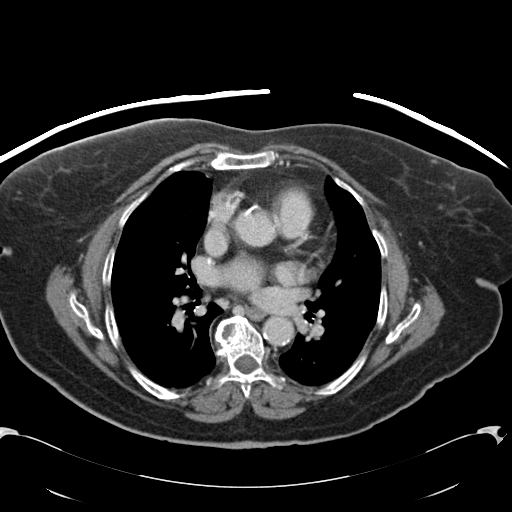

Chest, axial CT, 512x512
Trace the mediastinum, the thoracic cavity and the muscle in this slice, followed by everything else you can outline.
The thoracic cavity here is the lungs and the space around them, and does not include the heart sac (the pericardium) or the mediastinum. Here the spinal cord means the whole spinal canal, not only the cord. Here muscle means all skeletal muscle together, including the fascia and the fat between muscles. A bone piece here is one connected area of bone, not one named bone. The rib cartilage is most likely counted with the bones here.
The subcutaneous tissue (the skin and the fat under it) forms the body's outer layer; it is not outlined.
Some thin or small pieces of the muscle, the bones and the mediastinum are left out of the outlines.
{"mediastinum":[[[316,282],[315,291],[297,315],[299,331],[291,347],[278,357],[277,369],[270,361],[262,334],[242,315],[226,317],[217,323],[213,339],[219,346],[213,351],[210,327],[223,310],[213,301],[206,301],[200,288],[241,305],[286,314],[310,293]],[[290,162],[310,164],[329,175],[325,179],[324,194],[330,208],[320,189],[308,181],[288,173],[271,169],[243,171],[225,182],[211,197],[211,179],[199,170],[188,169],[210,166],[215,170],[248,170],[266,168],[273,164],[281,166],[286,164],[287,166]]],"thoracic_cavity":[[[182,170],[199,171],[211,181],[206,223],[196,242],[192,271],[203,299],[206,302],[213,302],[222,311],[209,327],[210,347],[216,357],[214,369],[191,386],[170,389],[147,377],[137,368],[128,354],[115,317],[111,283],[116,249],[129,217],[164,179]],[[328,176],[340,188],[350,193],[363,210],[379,251],[380,290],[375,323],[356,358],[340,375],[317,386],[302,384],[278,369],[279,357],[292,347],[300,331],[298,315],[305,307],[305,301],[316,291],[320,276],[336,250],[338,229],[334,212],[325,194]]],"muscle":[{"outer":[[210,141],[245,152],[216,150],[205,166],[188,168],[195,164],[193,158],[170,165],[150,193],[145,190],[124,208],[117,222],[122,229],[117,246],[110,246],[104,257],[101,283],[110,286],[112,302],[104,306],[106,333],[115,349],[121,340],[135,365],[127,369],[144,390],[159,400],[179,399],[185,394],[173,389],[195,385],[215,369],[217,358],[223,358],[227,371],[214,380],[215,386],[237,382],[248,399],[256,381],[283,388],[287,378],[266,370],[269,358],[274,368],[294,381],[321,386],[315,395],[330,396],[365,364],[368,354],[358,355],[373,327],[381,329],[388,314],[388,290],[381,284],[381,259],[389,253],[386,239],[376,227],[370,228],[364,198],[347,182],[310,163],[285,160],[272,148],[256,151],[271,142],[293,143],[335,161],[383,202],[383,207],[374,208],[397,234],[409,257],[410,274],[425,272],[443,303],[445,312],[434,334],[344,399],[281,420],[245,409],[224,422],[195,421],[134,395],[101,371],[55,319],[45,299],[48,277],[57,265],[82,270],[88,240],[131,183],[166,156]],"holes":[[[71,292],[74,292],[76,296],[76,299],[85,306],[86,309],[88,311],[89,316],[92,322],[97,327],[98,327],[103,333],[104,335],[103,339],[99,339],[92,335],[88,331],[85,322],[73,311],[70,306],[68,300],[69,294]],[[415,302],[418,302],[421,306],[421,309],[417,318],[406,328],[405,328],[400,333],[399,336],[393,342],[389,344],[385,343],[385,337],[388,333],[388,332],[390,330],[393,329],[394,327],[403,318],[404,318],[406,316],[406,315],[412,308],[412,306]],[[208,377],[209,377],[210,377],[211,377],[212,378],[213,379],[212,380],[212,381],[211,382],[211,383],[210,384],[209,385],[208,385],[207,385],[206,384],[206,383],[205,382],[205,381],[206,380],[206,379],[207,378]]]}],"spinal_cord":[[[244,355],[248,355],[250,357],[251,357],[256,362],[256,364],[257,365],[257,366],[253,370],[252,370],[248,373],[244,373],[243,372],[242,372],[240,370],[239,370],[236,367],[236,366],[235,365],[235,363],[236,362],[236,361],[240,357],[241,357]]],"torso":[[[173,118],[205,119],[246,129],[320,122],[356,125],[487,175],[511,202],[511,279],[499,287],[502,317],[489,347],[418,401],[371,429],[310,445],[235,450],[175,444],[127,431],[70,401],[18,359],[0,321],[0,182],[53,149],[142,122]]],"pericardium":[[[252,170],[271,170],[308,182],[321,191],[335,222],[337,234],[329,263],[317,281],[311,286],[309,293],[286,313],[268,312],[255,306],[241,304],[234,298],[215,296],[200,287],[193,271],[194,258],[202,243],[202,236],[207,223],[210,199],[233,177]]],"bones":[{"outer":[[233,316],[246,318],[261,334],[268,356],[264,368],[267,372],[286,378],[282,388],[256,380],[251,384],[246,398],[237,381],[228,380],[216,386],[215,380],[228,371],[228,366],[223,357],[217,357],[214,353],[220,346],[214,339],[214,333],[221,320]],"hole":[[244,355],[248,355],[250,357],[251,357],[256,362],[256,364],[257,365],[257,366],[253,370],[252,370],[248,373],[244,373],[243,372],[242,372],[240,370],[239,370],[236,367],[236,366],[235,365],[235,363],[236,362],[236,361],[240,357],[241,357]]},[[271,149],[277,151],[285,161],[288,161],[289,163],[287,165],[286,163],[281,165],[277,164],[275,162],[266,167],[258,167],[248,169],[215,169],[209,164],[210,160],[214,156],[216,151],[228,151],[237,154],[244,154],[245,153],[254,153]],[[365,353],[367,354],[367,358],[360,370],[356,374],[356,375],[340,390],[330,395],[319,395],[318,394],[315,394],[314,393],[314,392],[320,387],[325,385],[327,383],[334,380],[336,378],[340,376],[346,370],[348,369],[348,368],[360,355],[364,354]],[[128,366],[133,366],[135,367],[141,373],[142,373],[147,378],[153,382],[163,387],[165,387],[170,390],[173,390],[177,393],[183,393],[184,395],[179,398],[171,399],[170,400],[159,399],[144,389],[135,380],[135,379],[130,373],[128,369]],[[71,292],[74,292],[76,296],[76,299],[85,306],[86,309],[88,311],[89,316],[92,322],[97,327],[98,327],[103,333],[104,335],[103,339],[99,339],[92,335],[88,331],[85,322],[73,311],[70,306],[68,300],[69,294]],[[415,302],[418,302],[421,306],[421,309],[417,318],[406,328],[405,328],[400,333],[399,336],[393,342],[389,344],[385,343],[385,337],[388,333],[388,332],[390,330],[393,329],[394,327],[403,318],[404,318],[406,316],[406,315],[412,308],[412,306]],[[107,303],[111,304],[113,307],[114,317],[115,318],[116,325],[118,329],[118,332],[119,333],[119,335],[121,339],[117,348],[115,348],[112,344],[108,336],[107,330],[106,329],[106,326],[105,325],[105,320],[104,319],[104,312],[105,311],[105,306]],[[383,284],[385,285],[386,289],[387,290],[387,294],[388,295],[388,306],[387,307],[387,314],[386,315],[385,322],[383,326],[381,328],[379,328],[375,324],[376,323],[377,312],[378,311],[378,307],[379,306],[379,298],[380,297],[381,285]],[[112,246],[113,246],[115,248],[115,253],[114,254],[114,258],[113,259],[113,265],[112,266],[112,270],[111,271],[111,282],[110,283],[110,285],[104,285],[102,283],[102,271],[103,270],[104,261],[105,260],[106,254],[108,252],[110,247]],[[147,190],[149,190],[149,194],[147,196],[147,197],[145,199],[144,199],[133,210],[133,211],[130,214],[127,220],[125,222],[123,227],[122,228],[120,228],[118,225],[118,222],[125,208],[133,200],[134,200],[136,198],[140,196],[145,191]],[[371,228],[376,228],[383,235],[383,236],[385,239],[385,241],[387,244],[387,249],[388,250],[388,253],[387,254],[387,256],[384,258],[381,258],[381,256],[380,255],[380,251],[379,250],[378,245],[377,244],[377,243],[376,242],[376,241],[371,232]],[[334,176],[337,176],[339,178],[340,178],[342,180],[343,180],[346,183],[347,183],[363,198],[363,200],[364,201],[364,205],[362,207],[362,206],[356,200],[356,199],[350,192],[349,192],[347,190],[340,187],[334,181],[334,180],[333,179],[333,177]],[[188,159],[193,159],[195,161],[193,165],[191,165],[189,166],[187,168],[187,169],[182,169],[181,170],[179,170],[178,171],[173,172],[171,174],[168,175],[168,171],[167,170],[170,166],[176,163],[178,163],[181,161],[183,161],[184,160],[187,160]]]}